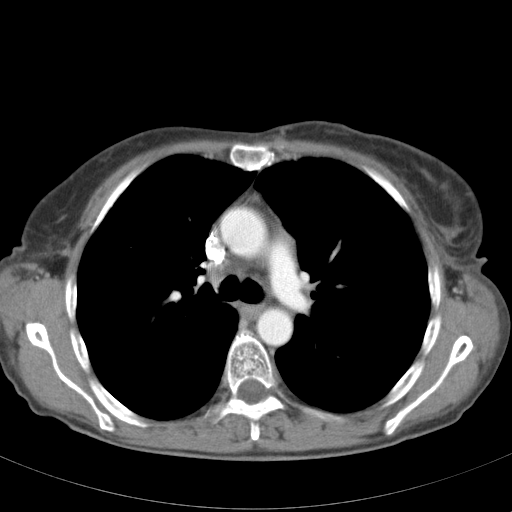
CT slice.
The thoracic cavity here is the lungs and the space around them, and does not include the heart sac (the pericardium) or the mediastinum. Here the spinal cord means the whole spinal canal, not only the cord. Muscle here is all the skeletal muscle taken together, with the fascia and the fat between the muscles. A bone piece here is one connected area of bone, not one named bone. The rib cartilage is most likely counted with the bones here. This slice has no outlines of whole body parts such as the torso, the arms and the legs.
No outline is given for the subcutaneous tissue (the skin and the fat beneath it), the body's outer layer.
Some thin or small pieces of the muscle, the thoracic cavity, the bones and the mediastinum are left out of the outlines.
The thoracic cavity is outlined by 175 154; 257 174; 305 156; 340 160; 409 216; 430 311; 413 361; 383 397; 332 412; 284 386; 275 353; 293 336; 306 274; 254 178; 204 241; 206 279; 238 317; 213 396; 187 415; 155 419; 101 383; 76 319; 80 260; 133 180. The mediastinum is outlined by 254 179; 254 188; 261 193; 296 241; 297 257; 305 274; 307 290; 299 300; 301 311; 295 316; 292 336; 275 351; 274 363; 264 345; 251 331; 238 329; 237 311; 222 302; 220 296; 215 293; 207 279; 204 263; 205 241; 212 223. The bones appear in 11 outlined pieces: piece 1: 238 330; 251 332; 263 345; 292 402; 342 415; 346 419; 323 420; 287 403; 285 409; 273 410; 258 420; 259 437; 256 440; 250 437; 250 419; 242 414; 228 413; 216 423; 211 423; 203 416; 218 399; 214 395; 224 372; 229 347 with a hole at 250 379; 255 380; 261 383; 264 386; 265 389; 267 391; 267 394; 266 396; 263 399; 261 399; 254 403; 248 403; 246 402; 243 399; 240 398; 238 396; 238 388; 239 386; 243 382; 247 380; 249 380; piece 2: 437 313; 441 317; 440 328; 434 344; 429 352; 424 357; 424 365; 421 373; 410 389; 402 397; 392 404; 386 407; 380 408; 383 398; 386 394; 404 374; 412 363; 416 359; 422 356; 419 350; 427 327; 428 320; 429 318; piece 3: 28 322; 40 322; 45 326; 60 370; 65 376; 88 394; 102 412; 107 413; 110 416; 114 424; 113 431; 108 431; 100 428; 97 415; 91 405; 79 393; 60 379; 53 367; 52 359; 49 353; 43 348; 30 342; 25 329; 25 325; piece 4: 236 143; 243 143; 244 144; 264 144; 278 156; 283 153; 289 153; 290 154; 294 154; 299 157; 295 160; 290 159; 289 160; 279 161; 270 166; 264 167; 259 171; 256 170; 248 171; 237 167; 229 162; 229 159; 228 158; 229 150; piece 5: 460 335; 467 335; 471 339; 473 345; 471 351; 463 360; 457 362; 450 368; 446 376; 437 388; 413 408; 402 419; 391 434; 386 435; 384 433; 385 422; 392 418; 402 408; 415 400; 418 396; 428 389; 438 379; 448 361; 453 343; piece 6: 90 377; 94 377; 96 378; 100 382; 100 383; 117 400; 118 400; 122 404; 123 404; 126 407; 135 413; 144 417; 150 423; 150 424; 147 427; 140 427; 133 424; 127 423; 111 414; 97 399; 94 393; 92 391; 89 384; 89 378; piece 7: 145 162; 148 162; 147 167; 138 175; 137 175; 120 194; 112 206; 108 210; 103 219; 100 222; 93 233; 89 237; 88 237; 88 233; 91 228; 92 224; 96 219; 101 208; 105 203; 106 200; 113 189; 129 172; 130 172; 134 168; piece 8: 361 165; 366 165; 369 167; 371 167; 375 169; 378 172; 382 174; 392 183; 392 184; 399 191; 405 201; 410 207; 411 213; 412 214; 412 219; 410 217; 410 216; 380 185; 379 185; 361 169; 360 167; piece 9: 71 328; 75 328; 79 331; 82 337; 82 339; 85 344; 85 347; 87 350; 87 353; 88 354; 89 360; 90 361; 90 364; 91 365; 91 368; 89 373; 87 373; 82 368; 76 357; 76 355; 72 347; 71 339; 70 338; 70 329; piece 10: 73 273; 76 274; 76 295; 77 296; 77 303; 76 304; 76 310; 75 311; 75 320; 73 322; 71 322; 68 317; 68 315; 67 314; 67 312; 66 311; 66 304; 65 303; 65 285; 66 284; 66 281; 67 280; 67 279; piece 11: 429 263; 432 266; 434 265; 436 265; 437 266; 438 268; 438 271; 439 272; 439 275; 440 276; 440 301; 439 302; 439 305; 436 309; 433 309; 431 308; 431 301; 430 300; 430 295; 429 294; 429 287; 428 286; 428 264. The spinal cord is outlined by 250 379; 255 380; 261 383; 264 386; 265 389; 267 391; 267 394; 266 396; 263 399; 261 399; 254 403; 248 403; 246 402; 243 399; 240 398; 238 396; 238 388; 239 386; 243 382; 247 380; 249 380. The muscle is outlined by 274 135; 282 135; 288 139; 304 139; 313 141; 321 141; 347 146; 351 149; 372 155; 378 160; 383 162; 395 174; 403 179; 404 184; 415 198; 425 218; 431 226; 431 230; 433 232; 435 239; 441 248; 442 256; 444 260; 444 271; 448 289; 450 291; 451 290; 454 294; 457 294; 460 291; 462 271; 459 269; 459 267; 469 266; 472 271; 493 291; 495 295; 496 303; 499 308; 499 318; 500 319; 499 344; 486 373; 478 385; 463 401; 447 413; 439 417; 419 422; 402 430; 389 438; 347 447; 320 448; 303 451; 252 450; 236 453; 217 453; 190 449; 160 448; 132 444; 104 435; 83 422; 42 406; 33 397; 18 375; 14 366; 10 361; 10 358; 6 350; 6 344; 4 340; 0 337; 0 270; 11 263; 27 261; 37 263; 51 276; 56 275; 61 277; 68 260; 70 249; 74 245; 80 234; 76 225; 90 196; 102 181; 112 172; 129 159; 141 152; 161 144; 191 138; 240 139; 247 141; 258 138; 259 139; 269 138 with holes at 236 143; 264 144; 278 156; 332 158; 359 170; 366 165; 388 179; 410 207; 426 264; 438 268; 440 301; 428 317; 437 313; 441 323; 421 373; 392 404; 380 408; 382 397; 355 411; 334 412; 346 418; 337 421; 323 420; 287 403; 285 409; 273 410; 258 420; 259 437; 253 440; 251 421; 242 414; 228 413; 216 423; 203 416; 218 399; 214 396; 187 415; 146 417; 150 424; 140 427; 111 414; 92 391; 89 378; 98 377; 92 367; 89 373; 82 368; 72 347; 70 329; 79 327; 76 319; 71 322; 68 317; 65 285; 78 273; 88 233; 101 208; 119 182; 145 162; 150 166; 175 154; 228 162; 229 150 and at 28 322; 40 322; 45 326; 60 370; 65 376; 88 394; 102 412; 107 413; 110 416; 114 424; 113 431; 108 431; 100 428; 97 415; 91 405; 79 393; 60 379; 53 367; 52 359; 49 353; 43 348; 30 342; 25 329; 25 325 and at 460 335; 467 335; 471 339; 473 345; 471 351; 463 360; 457 362; 450 368; 446 376; 437 388; 413 408; 402 419; 391 434; 386 435; 384 433; 385 422; 392 418; 402 408; 415 400; 418 396; 428 389; 438 379; 448 361; 453 343.